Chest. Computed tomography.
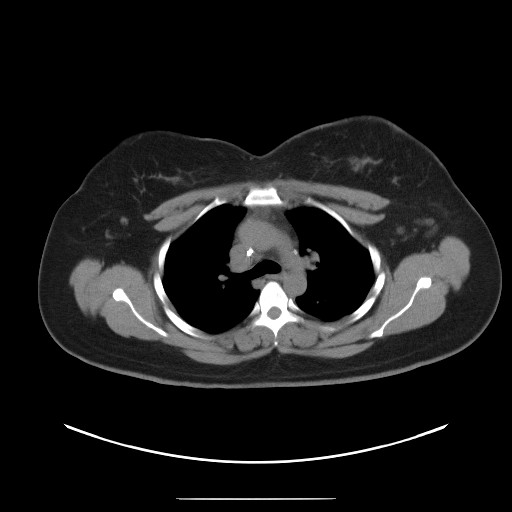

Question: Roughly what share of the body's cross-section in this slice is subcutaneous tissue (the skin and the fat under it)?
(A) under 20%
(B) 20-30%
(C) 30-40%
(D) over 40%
Answer: (D) over 40%
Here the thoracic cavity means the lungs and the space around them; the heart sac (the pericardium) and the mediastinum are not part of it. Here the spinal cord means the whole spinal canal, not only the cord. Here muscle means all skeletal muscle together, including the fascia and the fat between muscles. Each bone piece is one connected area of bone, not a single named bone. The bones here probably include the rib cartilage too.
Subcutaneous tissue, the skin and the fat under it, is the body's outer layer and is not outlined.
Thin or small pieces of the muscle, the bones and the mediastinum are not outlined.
The spinal cord is outlined by 273 307; 276 307; 277 308; 278 308; 280 310; 280 313; 279 314; 279 315; 277 317; 276 317; 275 318; 272 318; 271 317; 270 317; 268 315; 268 312; 269 311; 269 310; 271 308; 272 308. The bones appear in 8 outlined pieces: piece 1: 269 281; 277 282; 285 293; 304 312; 303 322; 300 323; 290 321; 285 323; 279 329; 276 337; 277 340; 276 346; 273 343; 275 337; 273 332; 269 328; 263 325; 258 325; 252 329; 248 328; 249 320; 247 317; 258 299; 261 289; inner edge: 273 307; 276 307; 277 308; 278 308; 280 310; 280 313; 279 314; 279 315; 277 317; 276 317; 275 318; 272 318; 271 317; 270 317; 268 315; 268 312; 269 311; 269 310; 271 308; 272 308; piece 2: 168 236; 171 236; 171 242; 165 255; 163 272; 161 273; 162 285; 169 299; 166 304; 184 321; 211 336; 211 338; 192 336; 176 326; 166 315; 163 304; 156 293; 153 284; 153 276; 154 273; 159 270; 158 253; 160 246; piece 3: 368 243; 374 245; 379 252; 380 256; 380 270; 385 273; 385 279; 381 290; 368 311; 357 320; 353 322; 349 322; 348 321; 349 320; 348 315; 359 307; 368 296; 377 275; 374 271; 371 257; 369 251; 367 249; 367 244; piece 4: 271 186; 273 187; 275 187; 278 192; 278 194; 283 199; 287 201; 285 205; 253 205; 252 206; 244 206; 242 205; 242 201; 243 199; 245 197; 245 196; 247 194; 249 190; 252 187; 258 187; 259 188; 265 188; 266 187; 270 187; piece 5: 422 276; 428 276; 430 277; 431 278; 431 285; 428 288; 421 288; 416 293; 411 305; 399 316; 390 321; 385 326; 383 330; 382 336; 370 338; 368 336; 371 332; 379 328; 386 319; 396 313; 408 302; 416 286; 416 283; 418 279; piece 6: 118 287; 120 287; 123 289; 125 293; 130 299; 134 308; 141 316; 155 326; 159 327; 164 330; 168 335; 165 337; 159 334; 156 331; 140 321; 135 316; 131 310; 129 305; 126 302; 124 301; 116 301; 112 296; 112 292; 115 288; piece 7: 308 196; 311 197; 317 201; 319 201; 323 203; 332 209; 335 212; 336 212; 349 225; 354 233; 354 237; 353 237; 334 217; 325 211; 322 210; 320 208; 318 208; 315 206; 312 206; 311 205; 305 204; 304 203; 304 199; piece 8: 223 195; 227 195; 228 196; 228 201; 226 203; 223 203; 222 204; 220 204; 217 206; 215 206; 211 208; 204 214; 203 214; 192 224; 192 222; 194 218; 197 215; 197 214; 206 205; 207 205; 210 202; 211 202; 216 196; 222 196. The muscle is outlined by 275 178; 343 185; 388 198; 391 202; 382 210; 385 217; 364 230; 375 245; 368 242; 366 248; 360 244; 336 211; 309 195; 303 203; 287 200; 272 185; 252 186; 241 201; 228 202; 227 194; 216 195; 181 235; 173 241; 168 235; 158 249; 158 270; 153 273; 152 284; 165 315; 176 327; 192 337; 211 339; 204 332; 221 333; 246 318; 250 330; 258 326; 269 329; 276 347; 280 329; 290 322; 303 323; 305 313; 324 322; 347 316; 353 323; 369 311; 384 286; 386 273; 381 270; 378 248; 392 271; 405 256; 429 252; 447 235; 460 238; 468 246; 470 269; 459 290; 447 296; 446 307; 437 319; 381 337; 386 326; 412 305; 417 293; 432 285; 432 278; 422 275; 407 302; 368 334; 370 339; 378 338; 363 351; 324 358; 274 349; 257 358; 220 365; 197 361; 179 347; 160 341; 124 337; 81 311; 69 284; 70 273; 81 259; 97 258; 105 266; 123 260; 147 271; 165 234; 154 229; 154 222; 144 219; 144 214; 193 189, around holes outlined by 118 287; 120 287; 123 289; 125 293; 130 299; 134 308; 141 316; 155 326; 159 327; 164 330; 168 335; 165 337; 159 334; 156 331; 140 321; 135 316; 131 310; 129 305; 126 302; 124 301; 116 301; 112 296; 112 292; 115 288 and by 320 325; 329 325; 330 326; 334 326; 335 327; 336 327; 336 330; 335 330; 334 331; 333 331; 332 332; 330 332; 329 331; 326 331; 325 330; 322 330; 321 329; 320 329; 318 327; 318 326; 319 326. The torso is outlined by 358 113; 382 115; 430 147; 492 234; 502 269; 501 294; 489 324; 470 345; 439 361; 363 381; 198 388; 102 369; 69 354; 51 337; 37 302; 39 263; 51 221; 92 165; 120 139; 141 130; 169 129; 227 140; 262 154; 308 127. The thoracic cavity appears in 2 outlined pieces: piece 1: 227 203; 234 206; 241 205; 246 209; 233 231; 228 252; 229 263; 234 272; 245 275; 245 279; 252 288; 259 290; 259 294; 251 310; 244 319; 224 331; 209 333; 190 324; 177 313; 164 288; 162 276; 166 255; 171 243; 208 211; piece 2: 304 205; 320 209; 334 218; 368 251; 373 271; 375 273; 375 279; 369 292; 360 305; 349 314; 335 320; 324 321; 306 313; 294 300; 298 296; 301 296; 307 289; 307 268; 304 259; 299 253; 300 242; 298 234; 287 217; 286 212. The mediastinum is outlined by 288 201; 303 204; 285 212; 286 217; 297 234; 299 242; 298 253; 303 259; 306 268; 306 289; 294 299; 290 297; 275 280; 267 281; 260 290; 252 287; 244 273; 234 271; 230 263; 229 255; 234 231; 244 216; 246 207; 285 206.